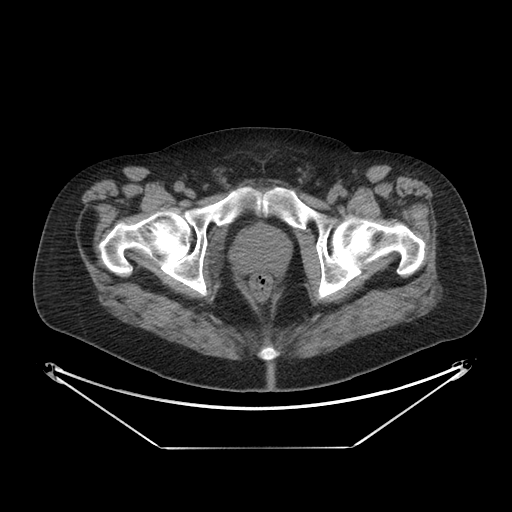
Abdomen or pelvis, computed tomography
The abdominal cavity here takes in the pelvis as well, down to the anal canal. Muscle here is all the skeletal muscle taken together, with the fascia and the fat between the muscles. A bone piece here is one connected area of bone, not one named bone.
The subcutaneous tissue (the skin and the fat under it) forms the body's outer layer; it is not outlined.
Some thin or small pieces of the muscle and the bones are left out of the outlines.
The torso is outlined by 238,126 305,129 339,139 357,151 376,148 406,153 440,170 466,206 485,272 486,304 478,325 463,337 345,382 263,393 212,390 171,381 47,326 34,305 32,273 47,212 63,185 99,160 156,151 191,136. The muscle is outlined by 380,164 402,168 419,177 433,193 437,222 435,263 441,297 425,315 354,339 320,355 307,358 283,357 279,350 267,343 256,356 233,360 204,355 122,322 112,316 97,299 96,288 80,255 75,227 82,208 82,194 108,174 125,166 143,166 162,174 178,190 194,200 222,191 228,184 235,184 246,178 280,179 332,206 348,196 362,173 370,166; inner edges: 242,186 291,189 335,226 400,222 425,242 422,263 400,275 392,251 318,299 309,220 293,229 292,257 260,306 230,265 227,226 211,222 207,295 134,247 124,251 131,273 118,275 98,248 117,223 181,215, then 295,256 299,256 300,258 304,275 299,284 305,288 310,303 309,307 313,311 309,314 304,313 301,319 299,318 289,324 283,326 275,325 274,320 278,309 278,302 284,295 283,293 287,286 285,283 286,277, then 225,268 229,271 229,274 227,275 232,283 233,288 239,292 255,315 257,324 245,326 239,323 233,323 228,321 229,320 227,317 223,317 215,311 217,307 215,300 218,296 220,289 224,285 225,277 222,274. The abdominal cavity is outlined by 246,209 250,209 256,214 261,214 265,217 273,215 279,218 293,228 293,232 296,237 292,257 286,264 283,275 277,283 269,302 263,306 260,306 251,298 230,265 229,258 224,248 227,226. The bones appear in 2 outlined pieces: piece 1: 242,186 291,189 335,226 349,216 400,222 425,242 422,263 400,275 392,251 318,299 315,223 294,228 246,208 227,225 207,226 207,295 134,247 124,251 131,273 118,275 98,248 117,223 157,211 181,215; piece 2: 267,344 269,344 270,345 271,345 276,350 279,351 280,352 280,355 279,356 278,356 277,357 276,357 273,359 271,359 270,360 263,360 262,359 260,359 256,355 256,354 261,349 261,348 263,346 264,346.